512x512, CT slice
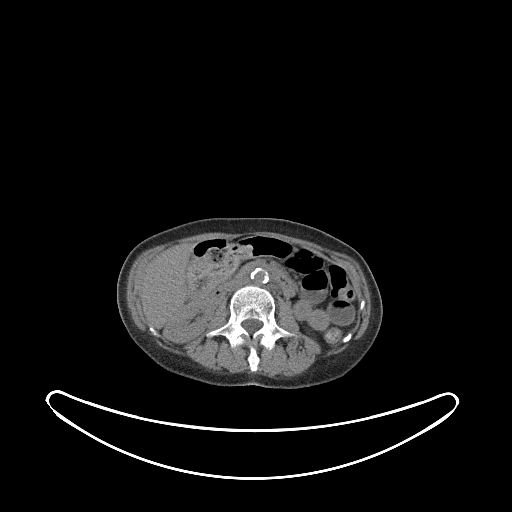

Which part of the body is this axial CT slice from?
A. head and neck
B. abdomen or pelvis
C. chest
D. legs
B. abdomen or pelvis
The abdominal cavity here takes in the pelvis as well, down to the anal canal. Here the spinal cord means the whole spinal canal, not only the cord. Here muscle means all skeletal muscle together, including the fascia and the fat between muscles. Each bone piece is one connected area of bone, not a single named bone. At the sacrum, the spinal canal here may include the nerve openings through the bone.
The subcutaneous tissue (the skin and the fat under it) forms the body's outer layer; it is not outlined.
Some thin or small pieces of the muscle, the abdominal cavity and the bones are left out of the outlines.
The muscle is outlined by 252,231 267,231 268,232 275,232 276,233 280,233 281,234 288,235 300,239 304,239 316,243 328,249 340,253 346,254 355,259 361,267 364,276 366,279 368,285 368,288 370,292 370,300 371,301 371,311 370,312 369,322 368,323 368,326 363,335 359,339 353,341 351,344 342,352 336,355 334,355 328,359 323,359 315,362 302,374 293,377 290,377 289,378 286,377 283,378 280,378 279,377 273,378 261,374 256,374 255,373 251,373 250,374 246,372 234,373 233,374 219,374 218,373 214,373 211,371 208,371 187,357 182,357 173,354 159,347 153,341 152,341 145,333 142,332 135,325 134,322 132,320 131,315 127,306 127,302 126,301 126,282 127,281 127,277 129,273 129,270 134,260 141,252 160,244 163,244 180,238 183,238 192,235 196,235 201,233 205,233 206,232 243,233 244,232 251,232, around a hole outlined by 248,235 288,241 344,271 365,302 348,341 324,348 300,331 280,296 275,321 296,336 271,349 256,344 254,372 247,344 232,348 223,335 206,336 228,321 224,299 181,347 152,334 140,299 147,264 172,244. The spinal cord is outlined by 248,319 255,319 256,320 259,320 262,322 262,326 260,328 259,328 257,330 256,330 254,332 253,332 251,334 250,333 249,333 242,326 242,325 241,324 243,321 244,321 245,320 247,320. The abdominal cavity is outlined by 248,235 288,241 344,271 359,306 355,324 341,340 324,348 300,331 280,296 274,298 266,288 254,284 237,288 228,307 223,299 206,329 181,347 164,339 151,325 144,316 140,288 147,264 158,253 172,244. The torso is outlined by 209,217 288,219 321,229 356,249 367,262 375,278 383,308 378,334 362,359 342,377 299,389 276,389 258,385 210,385 167,371 154,362 132,340 120,318 116,302 116,283 120,268 130,250 143,239 170,227. The bones appear in 2 outlined pieces: piece 1: 246,285 266,289 275,302 274,316 276,323 296,335 278,338 271,349 256,344 259,362 257,370 254,372 249,367 249,347 247,344 239,344 232,348 223,335 206,336 206,333 221,327 228,321 230,298 237,289 with a hole at 248,319 255,319 256,320 259,320 262,322 262,326 260,328 259,328 257,330 256,330 254,332 253,332 251,334 250,333 249,333 242,326 242,325 241,324 243,321 244,321 245,320 247,320; piece 2: 150,326 151,326 158,333 158,334 159,335 158,336 155,336 154,335 153,335 152,334 152,333 150,331 150,330 149,329 149,327.